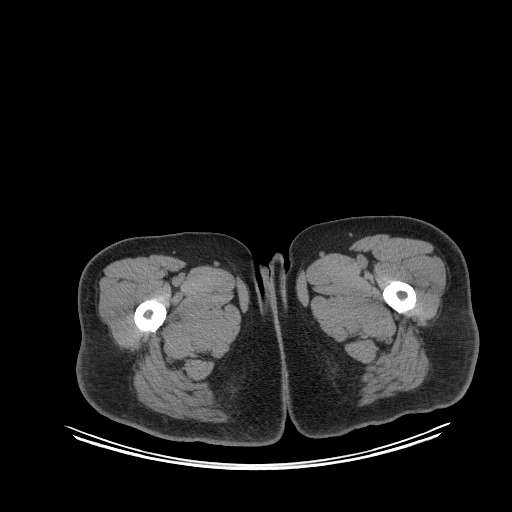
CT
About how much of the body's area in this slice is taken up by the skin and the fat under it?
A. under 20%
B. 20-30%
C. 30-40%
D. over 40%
Answer: D. over 40%
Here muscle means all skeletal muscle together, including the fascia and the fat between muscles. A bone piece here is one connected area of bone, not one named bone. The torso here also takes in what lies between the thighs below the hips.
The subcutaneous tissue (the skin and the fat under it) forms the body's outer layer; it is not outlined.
Outlined structures:
right leg: 182 231; 227 234; 241 241; 250 250; 255 260; 261 301; 279 329; 284 356; 284 399; 287 417; 283 435; 273 444; 226 446; 159 438; 98 413; 86 401; 79 389; 75 373; 81 341; 77 289; 84 266; 98 251; 124 238
bones 1: 152 298; 156 298; 160 302; 164 304; 166 308; 166 310; 167 311; 166 317; 163 323; 156 330; 155 332; 149 332; 148 331; 141 331; 136 326; 134 322; 133 316; 134 315; 135 308; 141 302; 147 299; 151 299
bones 2: 391 280; 400 280; 401 281; 406 282; 411 285; 413 287; 415 291; 415 294; 416 295; 416 301; 415 302; 415 305; 411 309; 408 310; 405 313; 399 313; 394 310; 385 302; 383 298; 383 296; 382 295; 382 291; 383 290; 383 288
muscle 1: 150 254; 175 256; 190 267; 207 264; 222 267; 238 275; 247 286; 249 303; 240 331; 229 351; 212 367; 209 379; 221 407; 229 415; 227 421; 179 419; 153 411; 130 388; 131 362; 113 342; 97 313; 96 280; 104 267; 115 260, around a hole outlined by 152 298; 156 298; 160 302; 164 304; 166 308; 166 310; 167 311; 166 317; 163 323; 156 330; 155 332; 149 332; 148 331; 141 331; 136 326; 134 322; 133 316; 134 315; 135 308; 141 302; 147 299; 151 299
muscle 2: 377 233; 421 239; 440 249; 448 267; 448 287; 443 295; 439 316; 432 326; 425 329; 423 335; 431 364; 428 379; 411 391; 358 406; 361 366; 321 330; 310 311; 301 304; 296 294; 296 278; 301 269; 326 253; 347 249; 356 240, around a hole outlined by 391 280; 400 280; 401 281; 406 282; 411 285; 413 287; 415 291; 415 294; 416 295; 416 301; 415 302; 415 305; 411 309; 408 310; 405 313; 399 313; 394 310; 385 302; 383 298; 383 296; 382 295; 382 291; 383 290; 383 288
torso: 276 251; 280 251; 282 253; 284 257; 284 266; 285 267; 285 288; 280 308; 278 326; 273 320; 271 315; 266 309; 262 301; 262 298; 260 294; 262 284; 259 271; 257 269; 257 264; 259 262; 264 265; 266 265; 274 252
left leg: 365 215; 422 219; 444 231; 458 245; 468 268; 472 309; 479 331; 474 374; 465 394; 448 407; 405 414; 390 422; 368 425; 340 436; 309 438; 296 430; 288 417; 285 399; 285 356; 279 320; 286 288; 288 248; 294 237; 310 225